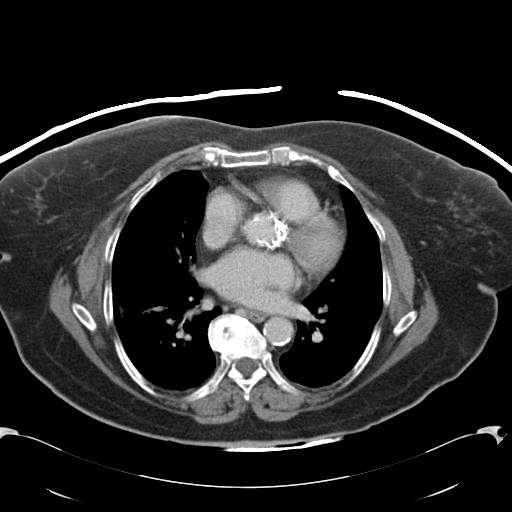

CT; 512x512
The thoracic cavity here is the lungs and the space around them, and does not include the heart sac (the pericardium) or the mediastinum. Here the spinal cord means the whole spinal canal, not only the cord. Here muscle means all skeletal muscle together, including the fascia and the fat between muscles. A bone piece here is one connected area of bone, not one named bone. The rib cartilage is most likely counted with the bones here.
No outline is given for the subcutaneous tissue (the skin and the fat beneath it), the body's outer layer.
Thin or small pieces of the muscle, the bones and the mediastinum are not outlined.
{"muscle":[{"outer":[[210,140],[241,151],[205,144],[190,160],[210,165],[196,162],[162,178],[162,171],[158,170],[133,194],[123,226],[118,222],[105,243],[103,259],[111,266],[111,275],[103,285],[103,317],[108,327],[113,323],[115,326],[116,355],[136,384],[154,397],[161,395],[150,383],[169,394],[192,391],[183,397],[186,402],[192,402],[216,392],[227,378],[242,390],[244,400],[249,401],[252,388],[267,376],[283,391],[298,395],[302,392],[294,384],[318,389],[345,375],[340,387],[346,386],[374,354],[382,332],[377,321],[382,308],[389,305],[392,293],[391,275],[382,263],[380,252],[380,242],[386,240],[385,229],[362,206],[354,187],[332,164],[287,144],[256,149],[276,141],[296,143],[331,156],[382,198],[382,203],[375,205],[397,228],[411,262],[425,276],[438,307],[439,317],[427,338],[343,400],[325,408],[300,412],[283,421],[265,421],[248,411],[227,423],[204,424],[151,405],[114,383],[89,359],[50,309],[51,283],[59,267],[73,261],[82,251],[94,227],[112,209],[114,199],[148,167],[172,152]],"holes":[[[73,302],[76,302],[79,304],[81,304],[85,308],[86,308],[86,309],[90,313],[90,314],[92,316],[93,319],[96,323],[96,329],[94,331],[91,331],[90,330],[89,330],[78,319],[78,318],[75,315],[75,314],[72,310],[72,303]],[[411,310],[416,310],[417,311],[417,315],[416,316],[416,317],[415,318],[414,321],[404,331],[403,331],[398,336],[395,336],[393,334],[393,333],[392,332],[392,330],[393,329],[394,326],[399,321],[399,320],[405,314],[406,314],[409,311],[410,311]]]}],"thoracic_cavity":[[[181,169],[197,170],[207,182],[203,216],[194,238],[195,261],[191,272],[202,297],[211,308],[219,307],[221,313],[207,328],[216,365],[214,371],[193,390],[169,393],[157,388],[138,370],[123,346],[114,323],[111,276],[116,245],[130,212],[163,178]],[[342,185],[352,192],[358,200],[379,241],[382,307],[368,341],[352,367],[343,376],[328,385],[318,388],[305,387],[292,383],[282,374],[279,367],[279,358],[294,343],[298,328],[298,315],[303,307],[303,301],[336,267],[344,252],[348,229],[342,200]]],"spinal_cord":[[[244,357],[246,357],[247,358],[249,358],[250,359],[255,361],[255,362],[256,363],[256,368],[251,373],[251,374],[249,376],[248,376],[247,377],[245,377],[237,369],[237,367],[236,366],[236,364],[237,363],[237,361],[238,360],[239,360]]],"mediastinum":[[[201,223],[197,241],[200,274],[221,300],[265,312],[285,312],[316,288],[302,301],[294,340],[291,347],[279,356],[279,370],[267,348],[266,339],[253,323],[235,313],[222,313],[219,306],[211,307],[203,297],[203,290],[192,272],[196,261],[195,238]],[[296,161],[307,162],[320,168],[323,168],[326,171],[327,174],[334,181],[339,183],[341,185],[340,191],[341,192],[341,200],[342,201],[342,205],[342,203],[340,201],[340,200],[337,197],[314,181],[309,176],[301,173],[299,171],[278,166],[254,166],[267,166],[268,165],[287,166],[292,162]],[[196,163],[202,163],[206,166],[220,167],[221,168],[236,168],[237,167],[251,167],[246,167],[245,168],[243,169],[240,169],[237,171],[235,171],[229,175],[227,175],[218,182],[209,194],[206,195],[208,189],[208,182],[204,178],[202,175],[202,173],[197,169],[182,168],[185,168]]],"bones":[{"outer":[[220,314],[235,314],[253,324],[265,339],[275,367],[301,392],[293,394],[283,390],[267,375],[251,388],[249,400],[245,400],[243,390],[226,377],[216,391],[186,401],[184,397],[201,386],[220,362],[220,354],[212,349],[208,338],[209,324]],"hole":[[244,357],[246,357],[247,358],[249,358],[250,359],[255,361],[255,362],[256,363],[256,368],[251,373],[251,374],[249,376],[248,376],[247,377],[245,377],[237,369],[237,367],[236,366],[236,364],[237,363],[237,361],[238,360],[239,360]]},[[205,145],[237,152],[270,149],[276,146],[287,145],[294,150],[316,157],[335,167],[353,187],[354,193],[334,180],[324,166],[320,167],[307,161],[296,160],[287,165],[268,164],[236,167],[213,166],[201,159],[192,161],[191,159],[196,155],[197,151]],[[377,322],[381,326],[381,332],[380,333],[380,337],[379,338],[377,346],[373,354],[371,356],[370,359],[364,368],[359,373],[359,374],[357,375],[349,383],[341,387],[341,385],[347,378],[346,374],[353,367],[365,349],[371,336],[374,326]],[[117,336],[119,337],[119,339],[122,344],[122,346],[127,356],[129,358],[133,365],[149,382],[149,385],[151,386],[160,395],[159,396],[154,396],[144,390],[132,379],[132,378],[125,370],[117,355],[117,353],[116,352],[116,350],[114,346],[114,338]],[[109,279],[110,279],[111,280],[111,292],[112,293],[112,310],[113,311],[113,322],[110,325],[109,325],[108,326],[106,324],[106,322],[105,321],[105,318],[104,317],[104,313],[103,312],[103,293],[104,292],[104,285],[105,284],[106,281]],[[158,171],[161,171],[161,179],[157,183],[156,183],[155,185],[154,185],[153,187],[149,191],[148,191],[138,201],[138,202],[134,206],[134,207],[129,212],[128,211],[128,206],[134,194],[139,188],[140,188],[144,184],[145,184]],[[73,302],[76,302],[79,304],[81,304],[85,308],[86,308],[86,309],[90,313],[90,314],[92,316],[93,319],[96,323],[96,329],[94,331],[91,331],[90,330],[89,330],[78,319],[78,318],[75,315],[75,314],[72,310],[72,303]],[[118,223],[119,223],[121,226],[121,230],[115,245],[115,248],[113,253],[113,257],[112,258],[112,262],[111,263],[111,265],[110,265],[107,262],[106,262],[104,259],[105,247],[106,246],[106,243],[107,242],[108,237],[112,232],[115,226]],[[411,310],[416,310],[417,311],[417,315],[416,316],[416,317],[415,318],[414,321],[404,331],[403,331],[398,336],[395,336],[393,334],[393,333],[392,332],[392,330],[393,329],[394,326],[399,321],[399,320],[405,314],[406,314],[409,311],[410,311]],[[382,264],[385,264],[386,265],[386,266],[388,269],[389,274],[390,275],[390,278],[391,279],[391,293],[390,294],[390,298],[389,299],[389,303],[386,307],[384,307],[383,306],[383,299],[382,298],[382,295],[383,294],[383,277],[382,276]],[[363,207],[364,208],[366,208],[375,217],[376,217],[381,223],[381,224],[384,229],[384,231],[385,232],[385,240],[383,242],[381,242],[379,240],[379,238],[377,235],[377,233],[374,229],[373,226],[371,224],[370,221],[368,219],[368,218],[363,209]]],"torso":[[[186,116],[245,127],[321,119],[361,122],[493,177],[511,200],[511,287],[497,294],[497,320],[479,355],[457,378],[415,406],[367,430],[317,443],[253,449],[183,445],[108,425],[55,395],[22,363],[0,313],[0,178],[38,155],[96,132],[140,120]]],"pericardium":[[[252,167],[278,167],[299,172],[309,177],[337,198],[343,207],[347,235],[339,261],[316,287],[302,295],[289,309],[285,311],[265,311],[221,299],[214,293],[202,276],[199,266],[200,255],[198,241],[204,216],[206,196],[209,195],[219,182],[227,176]]]}